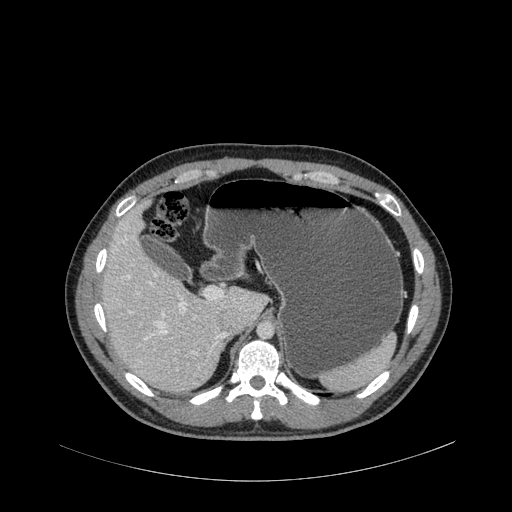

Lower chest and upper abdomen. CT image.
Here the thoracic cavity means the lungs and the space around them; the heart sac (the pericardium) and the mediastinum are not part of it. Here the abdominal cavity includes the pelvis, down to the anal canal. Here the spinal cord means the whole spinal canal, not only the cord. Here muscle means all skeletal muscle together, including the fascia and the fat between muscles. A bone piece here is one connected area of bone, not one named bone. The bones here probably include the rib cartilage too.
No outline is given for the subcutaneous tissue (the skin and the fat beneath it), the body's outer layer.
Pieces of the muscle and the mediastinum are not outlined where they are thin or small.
{"abdominal_cavity":[[[172,395],[192,395],[223,383],[235,368],[239,348],[262,319],[274,324],[280,369],[293,381],[331,395],[363,388],[397,352],[413,296],[411,251],[395,217],[362,193],[295,182],[260,167],[166,187],[137,201],[112,232],[100,301],[118,358],[152,389]]],"thoracic_cavity":[[[321,397],[322,396],[326,396],[327,397],[328,397],[329,396],[331,396],[330,395],[330,394],[317,394],[318,395],[319,395]]],"spinal_cord":[[[256,389],[259,389],[261,387],[262,387],[263,386],[263,385],[264,384],[264,379],[262,377],[261,377],[260,376],[254,376],[252,378],[251,378],[251,379],[250,380],[250,384],[254,388],[255,388]]],"muscle":[[[303,429],[327,427],[360,415],[418,359],[434,333],[441,309],[435,257],[404,204],[388,188],[340,167],[276,158],[223,157],[187,162],[127,191],[112,205],[84,254],[75,292],[78,324],[96,360],[127,391],[174,421],[204,427],[251,420],[252,398],[242,395],[226,402],[224,397],[232,386],[228,384],[217,397],[200,405],[190,404],[191,396],[172,396],[154,390],[154,397],[144,395],[124,378],[127,368],[113,352],[107,334],[94,317],[100,279],[95,271],[95,257],[102,247],[107,247],[118,219],[114,209],[119,201],[131,193],[140,199],[175,185],[173,179],[190,168],[215,169],[220,175],[252,166],[284,177],[298,171],[326,170],[340,178],[338,185],[374,199],[372,194],[376,190],[396,198],[403,213],[396,219],[411,250],[417,246],[424,256],[423,273],[415,273],[412,303],[419,306],[416,323],[408,335],[404,333],[398,352],[386,368],[391,371],[389,379],[363,399],[357,399],[355,393],[322,397],[318,405],[312,406],[282,387],[289,399],[286,405],[281,406],[269,395],[262,397],[262,420]]],"mediastinum":[[[278,350],[279,346],[278,345],[277,332],[273,324],[270,322],[269,320],[262,320],[260,322],[258,322],[254,329],[252,330],[250,333],[250,335],[244,342],[244,343],[245,343],[251,339],[259,338],[260,339],[267,340],[273,343],[276,346]]],"torso":[[[236,441],[329,437],[380,418],[414,386],[446,330],[452,303],[452,278],[440,241],[388,175],[351,153],[308,144],[245,142],[204,143],[168,150],[142,163],[113,189],[83,230],[71,256],[64,284],[68,326],[80,355],[113,401],[133,418],[170,434]]],"bones":[{"outer":[[254,420],[262,417],[262,396],[269,394],[281,405],[287,403],[281,386],[309,404],[316,405],[321,400],[280,370],[275,346],[259,339],[240,348],[236,368],[223,384],[189,399],[193,404],[203,403],[217,396],[226,383],[232,384],[225,400],[250,395]],"hole":[[256,389],[259,389],[261,387],[262,387],[263,386],[263,385],[264,384],[264,379],[262,377],[261,377],[260,376],[254,376],[252,378],[251,378],[251,379],[250,380],[250,384],[254,388],[255,388]]},[[331,184],[338,184],[340,182],[340,180],[337,176],[326,171],[317,170],[316,171],[309,171],[308,172],[298,172],[292,175],[292,179],[295,181],[300,181],[304,179],[305,180],[307,179],[312,181],[317,181],[322,183],[330,183]],[[396,217],[397,216],[400,216],[402,213],[401,212],[400,206],[395,199],[395,198],[391,194],[387,193],[386,192],[379,192],[378,191],[374,192],[373,195],[376,198],[377,202],[382,207],[383,207],[386,210],[387,210],[390,213],[391,213]],[[175,184],[178,183],[184,183],[192,179],[196,179],[199,177],[201,177],[203,175],[209,177],[214,177],[216,176],[217,172],[215,170],[209,170],[208,169],[206,170],[201,170],[196,168],[194,169],[190,169],[184,171],[178,175],[173,181]],[[357,398],[363,398],[367,396],[369,394],[372,393],[378,388],[379,388],[388,379],[389,377],[389,375],[390,374],[390,371],[389,370],[385,370],[383,371],[377,377],[376,377],[371,382],[370,382],[363,389],[362,389],[359,392],[356,393],[355,396]],[[148,396],[154,396],[154,393],[151,389],[151,388],[150,388],[145,383],[144,383],[139,378],[138,378],[131,372],[130,372],[129,371],[125,371],[124,372],[124,376],[127,380],[127,381],[136,389],[137,389],[139,391],[142,392],[144,394],[145,394]],[[117,217],[119,217],[121,216],[124,213],[125,213],[126,211],[127,211],[131,207],[133,206],[134,203],[137,200],[138,200],[138,198],[136,196],[136,195],[134,194],[131,194],[125,197],[121,201],[120,201],[120,202],[117,205],[115,209],[115,215]],[[406,334],[408,334],[411,331],[415,323],[415,321],[417,318],[417,315],[418,314],[418,306],[417,304],[415,303],[413,303],[411,305],[410,309],[409,310],[409,312],[408,313],[408,316],[407,317],[407,320],[406,321],[406,328],[405,329],[405,333]],[[418,274],[421,274],[422,273],[422,272],[423,271],[423,256],[422,255],[422,253],[420,251],[420,250],[417,247],[414,247],[413,248],[413,249],[412,250],[412,260],[413,261],[413,264],[414,265],[414,269],[415,270],[415,271]],[[104,332],[106,332],[107,329],[106,328],[106,326],[105,325],[105,318],[104,317],[103,310],[102,309],[102,307],[101,306],[101,303],[100,302],[96,302],[94,305],[94,313],[95,314],[95,317],[96,318],[99,325],[101,327],[102,330]],[[97,273],[100,273],[101,272],[101,271],[103,269],[103,267],[105,263],[105,259],[106,258],[106,254],[107,253],[107,250],[105,247],[102,248],[98,252],[97,254],[97,256],[96,257],[96,262],[95,263],[95,266],[96,267],[96,271]]]}